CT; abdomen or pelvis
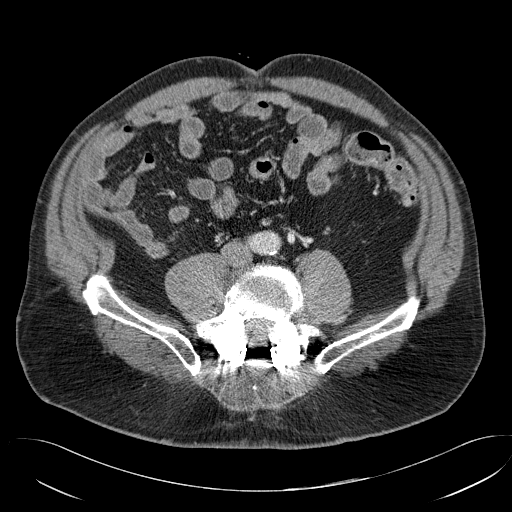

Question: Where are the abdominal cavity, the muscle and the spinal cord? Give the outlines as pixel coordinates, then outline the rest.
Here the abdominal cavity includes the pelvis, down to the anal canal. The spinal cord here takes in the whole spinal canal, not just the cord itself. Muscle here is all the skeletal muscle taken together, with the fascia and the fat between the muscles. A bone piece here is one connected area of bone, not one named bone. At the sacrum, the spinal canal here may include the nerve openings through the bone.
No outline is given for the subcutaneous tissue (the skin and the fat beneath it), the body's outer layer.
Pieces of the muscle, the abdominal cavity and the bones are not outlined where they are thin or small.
Answer: Outlines:
abdominal cavity: (247, 85) (354, 112) (403, 144) (425, 188) (402, 256) (405, 298) (337, 328) (353, 310) (352, 288) (326, 249) (306, 253) (297, 277) (266, 262) (235, 277) (218, 252) (178, 260) (163, 285) (187, 327) (115, 285) (114, 241) (94, 233) (83, 200) (94, 148) (149, 111)
muscle: (266, 75) (312, 76) (338, 84) (365, 98) (394, 122) (403, 125) (408, 131) (421, 136) (427, 141) (443, 160) (457, 189) (457, 195) (463, 214) (465, 233) (464, 257) (459, 279) (449, 291) (447, 301) (439, 312) (416, 323) (411, 328) (421, 304) (421, 299) (418, 295) (412, 293) (380, 320) (334, 339) (321, 347) (313, 355) (312, 363) (318, 372) (321, 375) (324, 375) (336, 363) (355, 351) (396, 333) (409, 330) (405, 340) (396, 350) (388, 353) (381, 359) (377, 359) (374, 363) (365, 367) (361, 371) (331, 381) (290, 405) (267, 410) (237, 411) (222, 406) (204, 388) (144, 373) (129, 365) (115, 353) (108, 352) (96, 333) (93, 321) (94, 316) (101, 314) (159, 340) (174, 354) (192, 377) (196, 376) (199, 372) (201, 367) (201, 356) (190, 337) (167, 323) (151, 319) (141, 314) (126, 303) (117, 293) (109, 277) (100, 270) (92, 272) (88, 276) (80, 293) (88, 310) (75, 301) (69, 295) (63, 281) (52, 274) (46, 265) (46, 257) (44, 254) (44, 218) (50, 184) (57, 168) (77, 138) (94, 124) (121, 113) (136, 101) (162, 87) (188, 78) (199, 76) (244, 77), around a hole outlined by (247, 85) (387, 128) (425, 188) (402, 256) (405, 298) (337, 328) (353, 310) (342, 263) (326, 249) (301, 258) (305, 321) (324, 336) (280, 374) (218, 362) (195, 335) (234, 281) (221, 253) (164, 275) (187, 327) (115, 285) (114, 241) (94, 233) (82, 193) (108, 132)
spinal cord: (259, 318) (261, 319) (263, 319) (268, 322) (270, 322) (270, 327) (269, 328) (269, 336) (268, 337) (268, 339) (265, 345) (254, 345) (253, 344) (251, 344) (250, 343) (250, 340) (249, 339) (249, 337) (247, 333) (247, 322) (249, 320) (251, 320) (252, 319) (258, 319)
torso: (296, 52) (325, 55) (368, 75) (431, 130) (463, 177) (478, 239) (485, 346) (461, 396) (444, 413) (401, 430) (290, 450) (158, 444) (104, 428) (40, 399) (17, 354) (15, 318) (26, 278) (36, 195) (60, 144) (92, 110) (169, 62) (219, 55) (258, 68) (277, 56)
bones 1: (257, 263) (280, 265) (293, 272) (305, 294) (305, 321) (317, 326) (324, 334) (311, 337) (306, 358) (300, 360) (295, 368) (280, 374) (275, 366) (257, 369) (244, 362) (239, 366) (218, 362) (216, 349) (198, 338) (193, 327) (197, 320) (220, 313) (224, 293) (237, 272) with a hole at (259, 318) (261, 319) (263, 319) (268, 322) (270, 322) (270, 327) (269, 328) (269, 336) (268, 337) (268, 339) (265, 345) (254, 345) (253, 344) (251, 344) (250, 343) (250, 340) (249, 339) (249, 337) (247, 333) (247, 322) (249, 320) (251, 320) (252, 319) (258, 319)
bones 2: (97, 271) (102, 272) (108, 277) (116, 293) (131, 308) (151, 320) (167, 324) (177, 329) (190, 338) (200, 356) (200, 367) (196, 375) (192, 376) (175, 354) (159, 339) (137, 328) (116, 321) (104, 314) (99, 313) (93, 315) (90, 312) (81, 293) (89, 276)
bones 3: (412, 294) (417, 295) (420, 299) (420, 304) (412, 325) (409, 329) (396, 332) (360, 349) (357, 349) (336, 362) (324, 374) (321, 374) (319, 372) (313, 363) (313, 357) (321, 348) (334, 340) (342, 338) (346, 335) (356, 332) (359, 329) (366, 328) (380, 321) (408, 299)